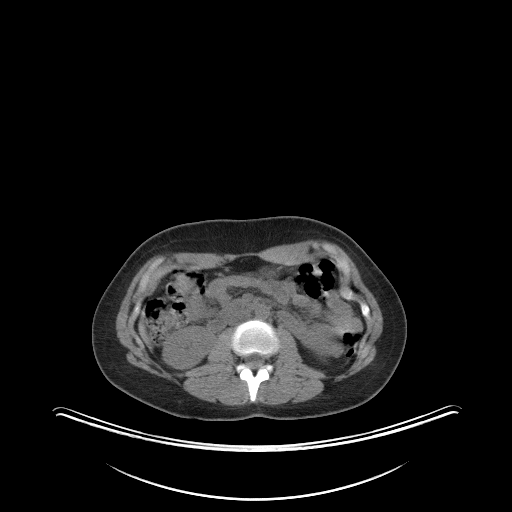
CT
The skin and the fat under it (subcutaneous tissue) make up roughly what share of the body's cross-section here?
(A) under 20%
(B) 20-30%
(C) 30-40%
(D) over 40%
(C) 30-40%
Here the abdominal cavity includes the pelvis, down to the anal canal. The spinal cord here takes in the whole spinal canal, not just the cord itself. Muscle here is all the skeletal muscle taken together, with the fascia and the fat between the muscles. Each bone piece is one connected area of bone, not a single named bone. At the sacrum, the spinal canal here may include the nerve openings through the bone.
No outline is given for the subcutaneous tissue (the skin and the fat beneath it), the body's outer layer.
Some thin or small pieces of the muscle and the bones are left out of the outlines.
Outlined structures:
bones 1: [[254,318],[267,322],[274,328],[278,338],[279,346],[277,351],[267,360],[273,366],[269,378],[262,381],[259,384],[256,398],[252,402],[249,397],[247,383],[239,377],[235,368],[241,359],[234,352],[231,346],[231,336],[234,328],[238,324]], around a hole outlined by [[254,353],[256,353],[257,354],[262,356],[264,358],[264,362],[263,363],[263,364],[260,367],[259,367],[255,370],[253,370],[251,368],[250,368],[247,365],[247,364],[244,360],[247,356],[248,356],[251,354],[253,354]]
bones 2: [[324,243],[326,243],[333,246],[340,255],[346,258],[347,262],[348,263],[348,265],[349,266],[349,269],[350,270],[349,271],[349,274],[348,276],[345,275],[344,273],[338,267],[336,263],[336,260],[334,258],[334,257],[330,253],[322,248],[321,245]]
bones 3: [[157,257],[160,257],[162,259],[162,261],[149,272],[149,279],[147,282],[147,284],[146,285],[145,288],[143,290],[143,291],[139,291],[138,290],[138,285],[139,284],[139,282],[140,281],[142,276],[149,269],[149,267],[150,266],[150,265]]
bones 4: [[344,288],[348,288],[349,289],[351,289],[354,292],[354,293],[355,294],[355,298],[354,299],[348,299],[347,298],[346,298],[345,297],[344,297],[341,294],[341,291]]
bones 5: [[361,302],[364,302],[369,307],[369,309],[370,310],[370,313],[369,314],[369,317],[368,318],[366,318],[365,317],[364,317],[364,316],[362,314],[362,312],[361,311],[361,310],[360,309],[360,305],[359,304]]
muscle: [[307,239],[325,240],[329,242],[332,242],[342,248],[348,254],[356,265],[364,284],[375,297],[379,305],[379,307],[381,310],[382,317],[383,318],[383,328],[382,329],[381,340],[379,345],[377,347],[376,354],[373,360],[364,368],[347,378],[345,378],[338,382],[329,385],[326,385],[323,391],[319,395],[306,401],[298,402],[297,403],[287,402],[279,405],[266,405],[261,403],[250,403],[249,404],[245,404],[240,406],[237,405],[230,406],[229,405],[220,405],[219,404],[215,404],[212,402],[208,402],[199,399],[191,395],[175,383],[165,378],[152,374],[139,367],[137,367],[129,363],[127,361],[125,356],[127,352],[127,349],[120,343],[117,337],[116,329],[115,328],[115,320],[116,319],[117,313],[119,310],[120,304],[126,293],[127,288],[129,286],[131,280],[141,266],[149,258],[156,254],[164,254],[168,252],[212,252],[213,253],[220,253],[221,254],[222,253],[233,253],[236,254],[237,253],[243,253],[244,252],[257,252],[272,246],[285,244],[286,243],[293,243],[294,242],[302,241]] with holes at [[324,243],[347,260],[340,290],[351,289],[370,310],[364,343],[344,371],[305,363],[280,325],[278,349],[267,360],[273,369],[252,402],[235,368],[241,359],[232,327],[217,335],[205,363],[180,372],[138,343],[133,309],[171,271],[250,256],[336,266]] and at [[157,257],[160,257],[162,259],[162,261],[149,272],[149,279],[147,282],[147,284],[146,285],[145,288],[143,290],[143,291],[139,291],[138,290],[138,285],[139,284],[139,282],[140,281],[142,276],[149,269],[149,267],[150,266],[150,265]]
abdominal cavity: [[250,256],[285,265],[320,258],[336,266],[340,294],[359,305],[366,326],[355,359],[344,371],[328,374],[305,363],[287,329],[280,325],[275,329],[256,317],[221,331],[207,361],[185,371],[169,371],[149,355],[135,321],[144,298],[163,276]]
torso: [[278,215],[309,217],[339,228],[366,252],[396,290],[406,314],[407,338],[394,373],[375,396],[357,407],[319,417],[280,420],[258,416],[232,421],[207,421],[179,417],[153,408],[127,395],[105,378],[92,350],[93,314],[105,288],[140,243],[177,224]]
spinal cord: [[254,353],[256,353],[257,354],[262,356],[264,358],[264,362],[263,363],[263,364],[260,367],[259,367],[255,370],[253,370],[251,368],[250,368],[247,365],[247,364],[244,360],[247,356],[248,356],[251,354],[253,354]]